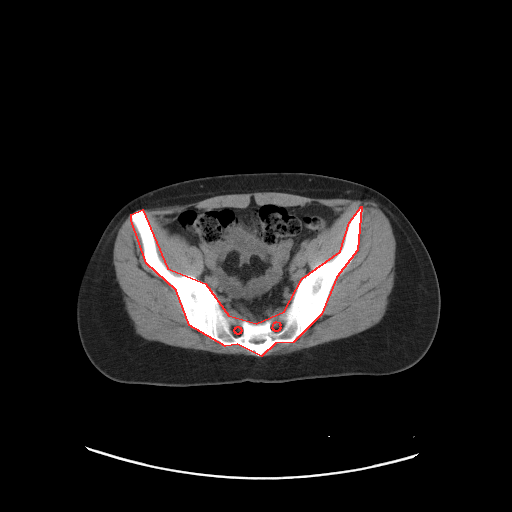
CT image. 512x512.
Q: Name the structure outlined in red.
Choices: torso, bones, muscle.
A: red: bones.
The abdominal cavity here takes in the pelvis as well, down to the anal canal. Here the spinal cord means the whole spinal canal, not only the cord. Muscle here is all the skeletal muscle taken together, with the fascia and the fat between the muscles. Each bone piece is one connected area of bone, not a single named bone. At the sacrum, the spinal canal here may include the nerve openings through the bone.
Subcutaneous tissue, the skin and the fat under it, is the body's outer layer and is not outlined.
Outlines:
bones: [[361,206],[357,250],[336,277],[321,314],[293,342],[275,343],[261,356],[237,344],[225,346],[189,325],[176,290],[146,263],[131,220],[131,214],[142,209],[167,268],[205,283],[228,315],[256,323],[284,311],[302,278],[340,251],[349,222]] with holes at [[276,321],[279,322],[279,323],[280,324],[280,325],[279,326],[280,327],[280,328],[279,329],[279,330],[278,330],[277,331],[275,331],[274,330],[273,330],[273,329],[272,328],[274,322],[275,322]] and at [[237,326],[238,326],[239,327],[240,327],[240,328],[241,329],[241,330],[241,331],[240,332],[240,333],[239,333],[238,334],[237,334],[236,333],[235,333],[235,332],[234,331],[234,330],[234,329],[235,328],[235,327],[236,327]]
torso: [[256,172],[306,172],[351,180],[379,191],[403,212],[430,255],[440,288],[439,323],[425,355],[413,366],[387,375],[347,375],[279,383],[244,381],[159,386],[117,382],[99,372],[80,342],[76,300],[87,262],[111,218],[133,198],[164,185],[205,176]]
abdominal cavity: [[252,201],[260,205],[282,206],[318,203],[330,207],[337,214],[326,229],[306,242],[304,254],[310,270],[297,283],[288,305],[277,307],[268,318],[256,322],[222,307],[216,292],[199,279],[204,269],[200,250],[167,228],[170,221],[189,208],[242,208]]
muscle 1: [[251,192],[372,200],[379,205],[390,222],[396,242],[394,286],[379,322],[347,337],[290,353],[262,356],[275,344],[293,343],[322,314],[337,277],[358,250],[364,212],[361,205],[348,222],[339,251],[311,269],[305,246],[338,217],[330,206],[318,202],[304,205],[260,204],[252,200],[242,207],[189,207],[170,220],[166,228],[199,250],[203,269],[198,278],[187,273],[175,274],[168,268],[159,255],[154,232],[143,209]]
muscle 2: [[130,214],[130,220],[139,235],[145,263],[157,276],[175,290],[188,325],[214,342],[218,342],[225,347],[237,345],[253,352],[254,355],[224,354],[178,347],[148,340],[135,332],[133,322],[125,309],[122,290],[116,280],[113,264],[115,238],[119,228]]
muscle 3: [[282,306],[287,306],[285,308],[285,309],[284,310],[283,310],[280,313],[279,313],[277,315],[276,315],[275,316],[273,316],[272,317],[269,317],[269,314],[270,313],[271,313],[272,312],[273,312],[277,308],[278,308],[279,307],[281,307]]
muscle 4: [[225,309],[226,310],[227,309],[228,310],[229,309],[230,310],[232,310],[233,311],[236,312],[241,316],[242,316],[243,317],[243,318],[241,318],[240,319],[238,319],[237,318],[235,318],[234,317],[233,317],[231,315],[228,314],[228,313],[225,310]]
spinal cord 1: [[276,321],[279,322],[279,323],[280,324],[280,325],[279,326],[280,327],[280,328],[279,329],[279,330],[278,330],[277,331],[275,331],[274,330],[273,330],[273,329],[272,328],[274,322],[275,322]]
spinal cord 2: [[237,326],[238,326],[239,327],[240,327],[240,328],[241,329],[241,330],[241,331],[240,332],[240,333],[239,333],[238,334],[237,334],[236,333],[235,333],[235,332],[234,331],[234,330],[234,329],[235,328],[235,327],[236,327]]
spinal cord 3: [[254,339],[257,339],[258,340],[263,340],[263,341],[262,341],[261,342],[258,342],[257,343],[256,343],[255,342],[253,342],[252,341],[251,341],[252,340],[253,340]]